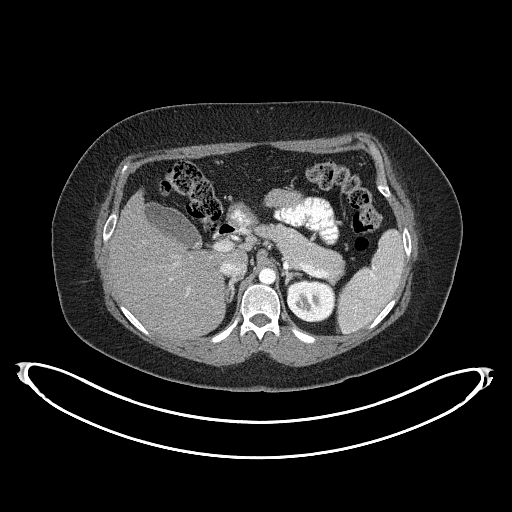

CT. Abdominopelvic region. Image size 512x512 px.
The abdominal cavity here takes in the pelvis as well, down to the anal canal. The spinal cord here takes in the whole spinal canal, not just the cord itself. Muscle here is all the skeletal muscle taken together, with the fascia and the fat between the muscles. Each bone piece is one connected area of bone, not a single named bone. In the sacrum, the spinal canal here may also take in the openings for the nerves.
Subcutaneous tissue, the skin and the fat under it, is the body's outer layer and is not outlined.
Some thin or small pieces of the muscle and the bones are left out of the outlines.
Outlines (x, y in pixels):
abdominal cavity: (181, 342) (224, 329) (239, 315) (243, 291) (257, 282) (276, 290) (282, 311) (306, 332) (342, 336) (366, 327) (393, 298) (405, 259) (401, 230) (377, 189) (371, 156) (359, 148) (313, 154) (257, 146) (229, 154) (149, 162) (132, 173) (109, 240) (114, 287) (145, 327)
torso: (240, 392) (295, 391) (366, 374) (416, 351) (437, 324) (459, 257) (461, 211) (449, 180) (435, 160) (387, 114) (359, 104) (328, 100) (162, 106) (130, 115) (109, 127) (85, 150) (68, 176) (52, 218) (51, 253) (60, 306) (70, 328) (94, 349) (143, 372) (196, 387)
spinal cord: (258, 326) (261, 326) (262, 325) (263, 325) (264, 324) (265, 324) (266, 323) (267, 323) (269, 321) (269, 319) (265, 315) (264, 315) (263, 314) (257, 314) (256, 315) (255, 315) (254, 316) (253, 316) (251, 318) (251, 320) (256, 325) (257, 325)
muscle: (293, 367) (310, 365) (328, 359) (338, 354) (345, 352) (370, 339) (401, 316) (406, 310) (409, 303) (411, 297) (411, 284) (413, 275) (413, 271) (412, 270) (413, 266) (418, 258) (418, 236) (417, 235) (417, 231) (415, 228) (416, 223) (414, 219) (414, 212) (411, 204) (404, 192) (404, 190) (401, 187) (396, 178) (395, 173) (391, 165) (391, 162) (379, 140) (370, 133) (362, 130) (355, 130) (331, 137) (318, 137) (309, 139) (293, 139) (292, 140) (276, 140) (275, 141) (263, 140) (262, 141) (218, 142) (217, 143) (196, 144) (195, 145) (172, 147) (171, 148) (162, 148) (156, 150) (151, 150) (147, 152) (139, 151) (135, 153) (133, 152) (126, 155) (116, 167) (114, 174) (111, 179) (105, 199) (100, 206) (98, 217) (95, 225) (95, 237) (93, 242) (94, 261) (96, 264) (96, 267) (99, 270) (100, 274) (99, 276) (102, 282) (102, 288) (104, 294) (103, 297) (104, 298) (104, 304) (108, 312) (127, 329) (143, 340) (163, 350) (194, 361) (202, 362) (215, 366) (229, 366) (238, 364) (248, 359) (254, 354) (262, 352) (265, 353) (268, 357) (277, 362) (287, 366) (292, 366) with holes at (214, 343) (237, 325) (241, 336) (248, 330) (260, 340) (268, 330) (278, 336) (278, 321) (286, 314) (295, 324) (292, 332) (308, 343) (315, 341) (310, 333) (349, 335) (373, 328) (387, 315) (396, 301) (411, 238) (396, 223) (382, 158) (373, 143) (367, 142) (370, 156) (359, 148) (313, 154) (257, 146) (149, 162) (129, 176) (119, 211) (112, 211) (102, 232) (104, 243) (109, 242) (120, 309) (146, 335) (153, 331) (181, 342) (209, 337) and at (121, 177) (124, 174) (124, 173) (125, 172) (125, 171) (127, 169) (127, 168) (129, 165) (129, 164) (128, 163) (128, 162) (127, 163) (126, 163) (125, 164) (124, 164) (123, 165) (123, 166) (121, 169) (121, 171) (120, 172) (120, 175) (121, 176)
bones 1: (214, 343) (225, 338) (237, 325) (241, 336) (248, 330) (254, 331) (260, 340) (268, 330) (278, 336) (280, 333) (278, 321) (280, 318) (285, 319) (285, 315) (281, 312) (279, 298) (275, 290) (259, 283) (248, 286) (242, 295) (240, 315) (236, 316) (224, 330) (209, 339), around a hole outlined by (258, 326) (261, 326) (262, 325) (263, 325) (264, 324) (265, 324) (266, 323) (267, 323) (269, 321) (269, 319) (265, 315) (264, 315) (263, 314) (257, 314) (256, 315) (255, 315) (254, 316) (253, 316) (251, 318) (251, 320) (256, 325) (257, 325)
bones 2: (387, 199) (389, 199) (392, 195) (385, 179) (385, 174) (383, 168) (382, 158) (378, 149) (375, 145) (373, 143) (368, 141) (367, 143) (368, 144) (368, 147) (370, 150) (370, 153) (375, 160) (379, 169) (378, 171) (378, 176) (377, 177) (377, 186) (380, 192)
bones 3: (104, 243) (106, 243) (108, 241) (113, 231) (113, 229) (115, 226) (115, 223) (117, 219) (117, 214) (115, 211) (112, 211) (112, 212) (109, 215) (108, 218) (106, 220) (104, 224) (104, 226) (103, 227) (103, 231) (102, 232) (102, 238) (103, 239) (103, 241)
bones 4: (146, 335) (149, 335) (149, 334) (150, 333) (149, 332) (149, 331) (146, 328) (145, 328) (142, 325) (142, 324) (122, 304) (121, 304) (120, 305) (120, 309) (122, 311) (122, 312) (124, 314) (124, 315) (134, 326) (135, 326) (139, 330) (140, 330) (143, 333) (144, 333)
bones 5: (369, 329) (371, 329) (372, 328) (373, 328) (376, 325) (377, 325) (387, 315) (387, 314) (390, 311) (390, 310) (394, 305) (394, 304) (396, 301) (396, 300) (395, 299) (392, 299) (380, 312) (380, 313) (372, 321) (372, 322) (367, 326) (367, 328) (368, 328)
bones 6: (407, 258) (409, 258) (409, 257) (410, 256) (410, 253) (411, 252) (411, 238) (410, 237) (410, 234) (409, 233) (409, 232) (408, 231) (407, 228) (406, 227) (404, 227) (402, 230) (402, 237) (403, 238) (403, 243) (404, 244) (404, 251) (405, 252) (405, 255)
bones 7: (308, 343) (312, 343) (314, 342) (315, 341) (315, 337) (314, 337) (312, 335) (310, 335) (307, 333) (305, 333) (299, 330) (295, 326) (293, 326) (291, 328) (291, 330) (292, 332) (299, 339) (300, 339) (302, 341) (304, 341)